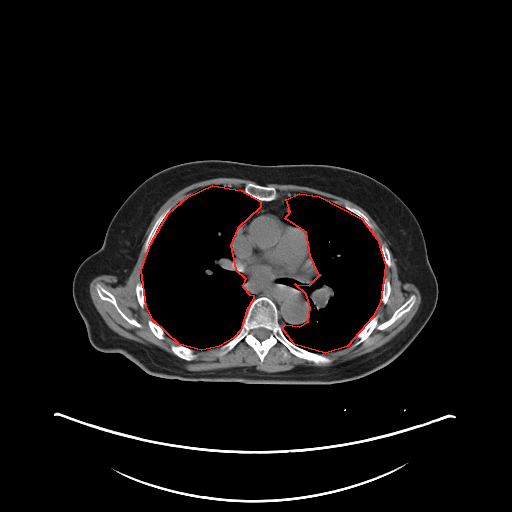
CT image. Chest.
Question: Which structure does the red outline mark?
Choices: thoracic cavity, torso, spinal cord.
Answer: red: thoracic cavity.
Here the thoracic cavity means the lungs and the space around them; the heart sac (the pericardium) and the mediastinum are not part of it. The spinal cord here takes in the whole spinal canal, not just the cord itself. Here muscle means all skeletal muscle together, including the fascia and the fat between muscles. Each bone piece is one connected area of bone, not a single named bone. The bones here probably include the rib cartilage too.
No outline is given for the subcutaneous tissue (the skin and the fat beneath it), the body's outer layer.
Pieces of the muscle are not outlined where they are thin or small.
{"thoracic_cavity":[[[212,185],[241,190],[260,201],[260,207],[237,228],[230,245],[235,269],[245,278],[242,286],[249,294],[253,295],[253,299],[246,310],[240,330],[233,338],[219,346],[201,350],[179,344],[153,320],[146,306],[141,270],[150,244],[168,213],[188,196]],[[299,193],[319,196],[361,218],[377,239],[385,265],[380,302],[372,317],[347,346],[325,353],[294,344],[282,328],[285,324],[299,326],[308,321],[310,307],[306,294],[295,284],[309,285],[319,275],[310,255],[306,232],[285,218],[290,211],[286,199]]],"muscle":[{"outer":[[218,177],[251,181],[244,185],[243,190],[221,184],[198,189],[160,214],[142,247],[145,256],[140,270],[140,280],[135,284],[136,299],[141,308],[146,307],[152,319],[147,321],[150,331],[160,340],[165,338],[165,334],[177,343],[169,347],[174,355],[191,361],[197,357],[194,350],[204,351],[219,347],[214,353],[220,357],[243,341],[253,349],[262,363],[269,350],[279,343],[286,349],[281,350],[285,357],[289,353],[316,365],[329,364],[333,359],[324,354],[345,348],[355,339],[352,346],[357,346],[375,329],[386,329],[413,307],[416,301],[413,293],[386,320],[379,322],[379,316],[375,314],[381,302],[384,305],[388,302],[391,293],[391,282],[385,276],[386,266],[390,267],[392,264],[391,252],[396,259],[398,278],[402,283],[414,284],[421,295],[420,305],[408,324],[383,345],[352,359],[330,366],[297,365],[275,372],[258,370],[254,366],[189,370],[162,349],[126,338],[112,330],[91,299],[89,284],[92,279],[105,274],[114,275],[119,283],[123,284],[137,261],[146,230],[160,207],[184,187]],"hole":[[97,284],[99,284],[106,290],[110,292],[114,296],[116,300],[116,302],[120,309],[129,318],[134,319],[137,321],[141,325],[141,327],[137,327],[129,323],[121,316],[112,303],[107,300],[103,300],[101,299],[97,293],[97,291],[96,290],[96,286]]},[[268,184],[292,184],[310,187],[353,202],[365,210],[374,220],[383,232],[384,238],[388,242],[388,247],[385,244],[380,244],[373,231],[374,226],[369,218],[359,209],[346,203],[342,206],[319,195],[308,192],[279,196],[277,189],[273,186],[268,186]]],"bones":[{"outer":[[261,296],[269,298],[275,304],[278,322],[284,336],[290,342],[307,351],[323,354],[332,361],[316,364],[289,352],[285,356],[282,350],[287,349],[278,342],[268,350],[261,362],[254,349],[243,340],[225,354],[217,355],[215,352],[239,333],[251,302]],"hole":[[258,328],[264,328],[265,329],[266,329],[269,332],[269,334],[268,335],[268,336],[265,339],[263,339],[262,340],[259,340],[254,335],[254,334],[253,333],[253,331],[255,329],[257,329]]},[[413,294],[415,296],[415,301],[412,307],[407,312],[403,314],[386,328],[382,330],[375,328],[364,341],[355,346],[353,346],[356,340],[356,336],[368,323],[373,316],[375,315],[378,316],[378,322],[379,323],[382,323],[386,321],[389,319],[393,313]],[[250,182],[255,183],[258,185],[262,185],[263,186],[267,186],[268,187],[273,187],[276,189],[277,195],[278,196],[276,198],[268,201],[266,201],[265,200],[259,200],[256,198],[254,198],[248,195],[244,191],[244,187],[245,185],[247,183],[249,183]],[[97,284],[99,284],[106,290],[110,292],[114,296],[116,300],[116,302],[120,309],[129,318],[134,319],[137,321],[141,325],[141,327],[137,327],[129,323],[121,316],[112,303],[107,300],[103,300],[101,299],[97,293],[97,291],[96,290],[96,286]],[[173,344],[178,344],[179,345],[181,345],[182,346],[184,346],[185,347],[187,347],[188,348],[190,348],[192,349],[194,353],[196,355],[196,357],[194,359],[192,359],[191,360],[185,360],[177,356],[171,351],[171,349],[170,347],[171,345]],[[169,207],[171,207],[171,209],[167,213],[167,214],[164,217],[164,218],[159,224],[149,244],[149,246],[147,249],[147,251],[145,252],[143,250],[144,243],[152,227],[154,225],[157,219],[161,215],[161,214],[167,208]],[[385,277],[386,278],[387,278],[389,280],[389,281],[390,282],[390,293],[389,294],[389,296],[387,299],[387,302],[384,304],[381,301],[381,291],[382,290],[382,285],[383,284],[383,281],[384,280],[384,279],[385,278]],[[139,281],[140,281],[142,284],[142,286],[143,287],[143,291],[144,292],[144,295],[145,296],[145,305],[144,306],[144,307],[141,307],[140,306],[140,305],[139,304],[139,302],[137,299],[137,295],[136,294],[136,290],[135,289],[136,288],[136,284]],[[149,320],[152,320],[156,324],[157,324],[162,329],[162,330],[164,332],[164,338],[163,339],[160,339],[159,338],[158,338],[151,331],[151,330],[150,329],[150,328],[149,327],[149,326],[148,325],[148,321]],[[346,204],[353,208],[355,208],[359,210],[362,213],[363,213],[368,218],[369,221],[373,226],[373,229],[372,230],[368,226],[368,225],[364,221],[364,220],[362,219],[361,217],[360,217],[355,213],[350,211],[348,209],[345,208],[344,206]],[[381,245],[385,245],[389,249],[389,251],[390,252],[390,261],[391,262],[391,264],[390,265],[390,266],[387,266],[385,264],[385,262],[384,261],[384,258],[383,257],[383,254],[382,253],[382,250],[381,249]]],"torso":[[[209,159],[258,165],[334,165],[364,173],[392,190],[420,225],[438,284],[435,309],[411,344],[380,369],[333,384],[245,384],[169,379],[147,373],[119,353],[96,349],[88,339],[73,300],[72,282],[77,268],[102,246],[114,214],[144,180],[176,164]]],"spinal_cord":[[[258,328],[264,328],[265,329],[266,329],[269,332],[269,334],[268,335],[268,336],[265,339],[263,339],[262,340],[259,340],[254,335],[254,334],[253,333],[253,331],[255,329],[257,329]]],"mediastinum":[[[285,195],[289,196],[284,202],[289,211],[284,218],[305,232],[309,255],[318,275],[309,284],[294,284],[305,294],[309,307],[307,321],[282,326],[276,304],[264,295],[254,298],[244,288],[246,278],[236,269],[231,245],[235,232],[260,209],[261,201]]]}